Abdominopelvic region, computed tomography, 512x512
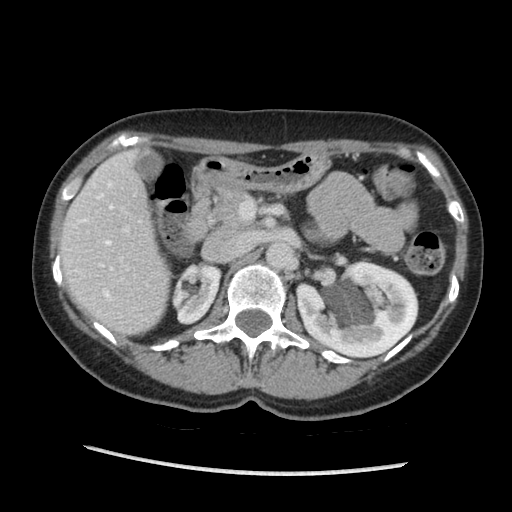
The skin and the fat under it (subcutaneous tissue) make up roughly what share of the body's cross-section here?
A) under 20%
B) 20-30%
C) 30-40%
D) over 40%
B) 20-30%
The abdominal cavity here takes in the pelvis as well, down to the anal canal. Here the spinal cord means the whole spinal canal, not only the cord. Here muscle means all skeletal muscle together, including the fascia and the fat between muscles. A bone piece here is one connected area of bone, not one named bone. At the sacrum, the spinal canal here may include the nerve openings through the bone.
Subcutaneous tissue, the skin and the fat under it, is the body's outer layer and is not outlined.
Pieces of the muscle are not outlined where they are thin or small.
{"abdominal_cavity":[[[144,141],[203,154],[271,149],[314,155],[386,152],[417,159],[443,193],[455,226],[449,285],[436,311],[385,354],[353,359],[306,335],[282,277],[255,262],[232,275],[226,291],[195,325],[153,344],[115,337],[66,299],[62,224],[86,174],[122,146]]],"spinal_cord":[[[250,309],[258,309],[259,310],[263,311],[269,316],[271,320],[271,324],[268,328],[262,331],[258,335],[254,336],[253,337],[252,336],[248,335],[243,330],[242,330],[237,325],[236,323],[236,317],[237,315],[240,312],[244,310],[249,310]]],"bones":[{"outer":[[255,263],[267,266],[281,277],[286,293],[282,323],[306,339],[309,346],[302,349],[289,345],[272,350],[270,343],[263,341],[250,363],[247,349],[238,338],[216,343],[211,339],[196,339],[193,334],[225,320],[229,309],[226,292],[231,278],[239,269]],"hole":[[250,309],[258,309],[259,310],[263,311],[269,316],[271,320],[271,324],[268,328],[262,331],[258,335],[254,336],[253,337],[252,336],[248,335],[243,330],[242,330],[237,325],[236,323],[236,317],[237,315],[240,312],[244,310],[249,310]]},[[122,133],[125,133],[127,136],[132,136],[133,135],[136,135],[142,138],[144,138],[145,140],[141,141],[140,142],[138,142],[133,145],[127,145],[126,146],[123,146],[119,144],[115,147],[113,147],[109,149],[108,148],[108,145],[112,141],[112,140]],[[78,175],[80,175],[82,176],[82,180],[81,181],[81,183],[77,191],[75,193],[73,197],[72,197],[69,200],[62,200],[61,199],[61,193],[62,192],[62,190],[63,188],[71,180],[72,180],[76,176]],[[418,150],[419,151],[421,151],[423,152],[426,155],[426,156],[437,167],[437,168],[439,170],[441,174],[441,177],[440,178],[436,178],[435,177],[433,177],[430,174],[428,170],[419,161],[419,160],[417,158],[415,154],[415,152]],[[452,199],[453,199],[454,200],[456,200],[460,204],[460,205],[461,206],[461,208],[462,209],[462,211],[463,212],[463,214],[464,215],[464,221],[462,223],[455,220],[454,219],[454,218],[448,211],[448,209],[447,208],[447,202],[449,200],[451,200]],[[325,349],[327,350],[332,350],[334,352],[342,356],[344,356],[345,357],[347,357],[348,358],[350,358],[352,359],[352,361],[351,362],[346,362],[345,363],[333,363],[332,362],[330,362],[326,359],[325,359],[321,355],[320,353],[321,351]],[[451,272],[453,272],[455,274],[455,275],[456,276],[456,277],[458,280],[458,282],[459,283],[459,291],[458,292],[458,295],[457,296],[456,299],[453,302],[447,302],[447,299],[448,298],[448,292],[449,291],[449,288],[450,287],[450,276],[451,275]],[[58,253],[59,253],[60,255],[60,258],[59,260],[60,261],[60,269],[61,270],[61,273],[62,274],[62,285],[60,286],[58,286],[56,284],[56,283],[53,279],[53,276],[52,275],[52,264],[54,261],[54,259],[56,255]],[[410,333],[412,333],[412,336],[410,340],[408,342],[408,343],[395,355],[391,357],[387,361],[384,362],[383,361],[383,358],[385,356],[385,355],[392,348],[393,348],[397,344],[398,344],[404,338],[405,338],[406,336],[408,335],[408,334]],[[170,338],[174,338],[179,341],[179,342],[180,343],[179,344],[179,345],[177,347],[172,348],[170,350],[153,350],[152,349],[149,348],[149,346],[150,345],[153,345],[154,344],[159,344],[160,343],[162,343],[163,342],[164,342],[166,340],[167,340]],[[93,321],[96,321],[97,322],[98,322],[100,324],[103,325],[114,336],[114,337],[115,338],[115,339],[117,342],[117,345],[115,345],[113,343],[112,343],[108,339],[107,339],[104,336],[103,336],[97,330],[96,330],[95,329],[95,328],[93,326]]],"torso":[[[189,107],[381,112],[415,124],[441,144],[480,212],[483,277],[464,336],[428,380],[397,400],[362,414],[304,421],[280,417],[253,401],[213,413],[140,401],[104,386],[76,363],[43,321],[33,294],[33,237],[46,189],[70,154],[104,126],[138,112]]],"muscle":[{"outer":[[125,129],[153,131],[176,136],[196,136],[204,138],[244,141],[245,142],[261,143],[262,144],[282,144],[300,140],[314,140],[315,139],[327,139],[328,138],[346,138],[347,139],[356,139],[357,140],[366,140],[367,141],[394,141],[395,142],[403,141],[404,142],[419,142],[427,144],[432,147],[441,157],[452,179],[452,181],[455,185],[457,192],[463,202],[469,219],[468,256],[467,257],[467,263],[468,264],[465,269],[464,280],[461,283],[460,296],[458,303],[442,325],[437,336],[431,343],[415,356],[380,374],[378,374],[371,381],[361,382],[343,392],[329,397],[314,399],[313,400],[285,399],[270,395],[256,388],[253,389],[240,388],[222,394],[206,395],[205,394],[187,392],[178,388],[171,387],[152,379],[149,376],[145,375],[142,372],[137,370],[130,365],[127,365],[111,351],[85,333],[82,332],[72,323],[62,308],[60,302],[57,299],[57,295],[54,287],[52,285],[52,279],[50,276],[49,228],[53,212],[53,206],[55,197],[61,184],[75,166],[94,146],[111,134],[119,130],[124,130]],"hole":[[122,133],[203,154],[271,149],[314,155],[386,152],[416,160],[415,152],[421,151],[439,170],[441,177],[433,180],[446,201],[456,200],[464,215],[462,223],[454,221],[451,271],[459,283],[458,295],[447,302],[448,287],[431,318],[385,362],[384,354],[345,363],[325,359],[320,352],[326,348],[304,333],[291,295],[282,308],[282,323],[308,341],[305,349],[289,345],[272,350],[263,341],[250,363],[238,338],[222,343],[196,339],[196,330],[225,320],[229,306],[224,291],[203,320],[172,337],[179,341],[177,347],[153,350],[149,344],[119,337],[115,345],[67,301],[53,279],[52,264],[60,252],[70,201],[61,199],[63,188],[120,149],[120,144],[110,149],[108,145]]}]}